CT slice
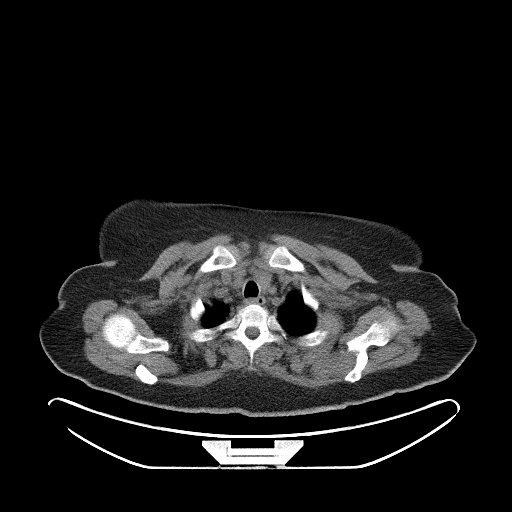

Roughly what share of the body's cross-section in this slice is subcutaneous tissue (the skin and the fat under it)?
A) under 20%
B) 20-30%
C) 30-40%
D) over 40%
D) over 40%
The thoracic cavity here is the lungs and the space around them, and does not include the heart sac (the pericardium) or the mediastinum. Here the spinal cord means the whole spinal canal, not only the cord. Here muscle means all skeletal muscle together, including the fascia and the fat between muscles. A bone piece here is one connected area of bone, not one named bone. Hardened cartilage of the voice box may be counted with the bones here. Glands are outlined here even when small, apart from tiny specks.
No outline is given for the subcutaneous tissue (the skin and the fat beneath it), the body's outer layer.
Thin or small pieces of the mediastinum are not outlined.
{"thoracic_cavity":[[[292,288],[300,291],[303,303],[308,307],[315,315],[315,325],[314,328],[309,332],[303,334],[300,334],[296,336],[289,335],[286,330],[279,322],[277,318],[277,314],[275,312],[276,309],[286,299],[286,297],[288,295],[288,291]],[[212,292],[219,298],[223,300],[233,310],[234,313],[231,316],[228,317],[223,321],[220,322],[214,326],[212,326],[211,327],[205,327],[201,321],[201,318],[206,311],[205,304],[207,305],[211,305],[212,304],[212,301],[215,298],[213,296]]],"thyroid_glands":[[[259,271],[265,271],[267,273],[268,273],[269,274],[269,275],[270,276],[270,277],[269,278],[269,280],[268,281],[268,283],[266,285],[266,286],[264,286],[264,285],[260,281],[260,280],[257,277],[257,275],[256,274],[256,272],[258,272]],[[241,271],[244,271],[245,272],[245,273],[243,275],[234,275],[233,274],[235,274],[236,273],[236,272],[240,272]]],"torso":[[[140,196],[260,209],[321,211],[398,226],[423,246],[425,259],[421,267],[438,275],[456,294],[461,318],[476,334],[475,346],[453,373],[439,382],[342,409],[300,415],[188,413],[91,388],[141,329],[139,305],[97,251],[97,231],[103,217],[124,201]]],"mediastinum":[[[247,267],[257,267],[263,270],[256,271],[255,274],[264,287],[269,283],[271,277],[269,273],[283,275],[285,282],[291,285],[285,299],[274,312],[256,302],[240,306],[235,312],[212,291],[221,278],[230,273],[235,273],[232,274],[234,276],[243,276]]],"spinal_cord":[[[248,327],[255,327],[256,328],[257,328],[258,329],[258,335],[256,337],[255,337],[254,338],[250,338],[249,337],[248,337],[246,335],[246,333],[245,332],[246,331],[246,329]]],"right_arm":[[[99,259],[107,262],[110,265],[136,304],[138,305],[140,329],[129,345],[119,356],[90,386],[88,386],[81,380],[66,375],[56,368],[42,348],[39,339],[39,328],[43,320],[56,307],[58,290],[66,277],[71,272],[80,267],[98,263],[100,261]]],"bones":[{"outer":[[250,303],[259,304],[271,313],[275,313],[278,322],[288,334],[282,344],[265,342],[260,346],[254,353],[252,363],[250,363],[248,351],[238,340],[224,340],[220,334],[214,339],[196,342],[187,336],[188,331],[218,325],[231,317],[238,308]],"hole":[[248,327],[255,327],[256,328],[257,328],[258,329],[258,335],[256,337],[255,337],[254,338],[250,338],[249,337],[248,337],[246,335],[246,333],[245,332],[246,331],[246,329]]},[[112,313],[121,313],[128,316],[135,325],[137,331],[141,335],[145,337],[148,338],[161,337],[167,340],[169,344],[168,350],[166,351],[151,351],[144,354],[140,354],[139,353],[130,353],[123,349],[118,349],[111,346],[102,336],[102,326],[106,317]],[[391,316],[394,316],[397,319],[397,328],[391,332],[389,341],[382,346],[369,346],[366,351],[367,362],[361,372],[361,378],[354,382],[345,381],[344,377],[354,366],[356,359],[356,352],[348,351],[346,342],[353,337],[365,332],[373,322],[382,322]],[[216,245],[223,245],[230,249],[231,249],[233,246],[236,247],[238,250],[238,252],[236,256],[236,260],[237,261],[236,262],[236,264],[230,268],[223,268],[222,269],[214,270],[209,272],[199,272],[198,270],[200,266],[202,263],[212,254],[213,249]],[[277,246],[285,246],[294,256],[295,256],[303,263],[304,265],[304,271],[302,271],[301,272],[300,271],[291,271],[290,270],[287,270],[284,268],[271,267],[268,264],[268,257],[267,256],[264,256],[264,253],[270,247],[272,247],[273,248]],[[314,329],[319,329],[320,330],[322,329],[327,329],[328,330],[329,332],[326,338],[321,343],[317,345],[314,345],[313,346],[302,346],[301,345],[299,345],[297,343],[293,341],[293,339],[295,337],[299,336],[300,335],[303,335],[304,334],[309,333]],[[139,364],[142,364],[143,365],[144,365],[153,374],[154,374],[157,377],[157,382],[156,383],[155,383],[154,384],[148,384],[147,383],[144,383],[143,382],[140,381],[140,380],[138,378],[138,377],[135,374],[135,369],[136,368],[136,367]],[[197,296],[200,297],[205,307],[205,311],[201,316],[200,318],[200,320],[199,321],[196,321],[194,319],[193,319],[191,317],[189,313],[189,307],[190,306],[190,304],[192,300],[195,297]],[[302,282],[304,284],[304,285],[312,293],[312,294],[317,299],[318,301],[318,303],[319,305],[318,306],[318,308],[317,310],[315,312],[314,312],[308,306],[307,306],[304,303],[303,301],[303,297],[301,293],[301,284]]],"muscle":[{"outer":[[218,233],[251,239],[285,234],[345,252],[379,281],[360,282],[362,291],[392,303],[406,299],[427,312],[432,326],[420,357],[362,378],[369,347],[386,345],[398,328],[391,315],[345,342],[346,350],[355,352],[343,377],[347,382],[318,388],[255,373],[233,373],[199,387],[179,386],[157,383],[158,377],[142,363],[134,369],[139,381],[98,368],[83,353],[87,305],[112,299],[136,307],[153,282],[135,280],[163,249]],"holes":[[[247,267],[283,275],[299,291],[302,282],[318,301],[314,328],[327,329],[326,338],[313,346],[299,345],[292,335],[282,344],[265,342],[252,363],[238,340],[220,334],[190,339],[188,331],[204,326],[189,313],[192,300],[198,296],[211,305],[221,278]],[[112,313],[121,313],[128,316],[135,325],[137,331],[141,335],[145,337],[148,338],[161,337],[167,340],[169,344],[168,350],[166,351],[151,351],[144,354],[140,354],[139,353],[130,353],[123,349],[118,349],[111,346],[102,336],[102,326],[106,317]],[[216,245],[223,245],[230,249],[231,249],[233,246],[236,247],[238,250],[238,252],[236,256],[236,260],[237,261],[236,262],[236,264],[230,268],[223,268],[222,269],[214,270],[209,272],[199,272],[198,270],[200,266],[202,263],[212,254],[213,249]],[[277,246],[285,246],[294,256],[295,256],[303,263],[304,265],[304,271],[302,271],[301,272],[300,271],[291,271],[290,270],[287,270],[284,268],[271,267],[268,264],[268,257],[267,256],[264,256],[264,253],[270,247],[272,247],[273,248]]]}]}